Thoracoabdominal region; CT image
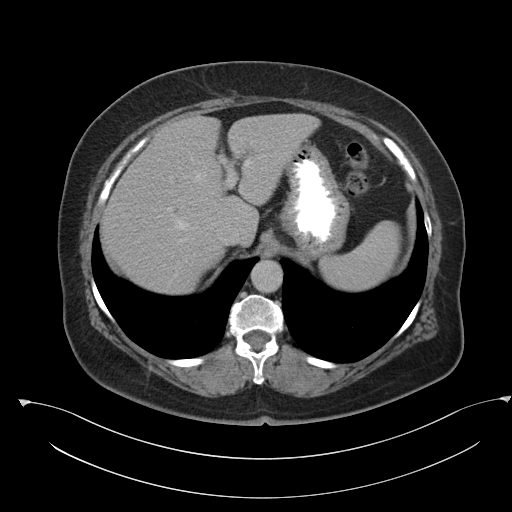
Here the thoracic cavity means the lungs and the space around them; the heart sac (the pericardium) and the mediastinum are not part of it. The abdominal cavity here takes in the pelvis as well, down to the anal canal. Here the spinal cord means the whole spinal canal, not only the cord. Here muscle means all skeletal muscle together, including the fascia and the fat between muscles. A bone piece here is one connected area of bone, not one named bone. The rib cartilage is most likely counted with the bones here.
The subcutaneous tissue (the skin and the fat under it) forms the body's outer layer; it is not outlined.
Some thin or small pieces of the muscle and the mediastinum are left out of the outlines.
Outlined structures:
bones 1: (249, 294) (259, 294) (279, 302) (284, 320) (283, 330) (276, 335) (278, 349) (263, 363) (262, 374) (264, 380) (261, 384) (256, 384) (253, 381) (254, 368) (251, 361) (235, 352) (237, 342) (235, 337) (232, 335) (229, 337) (224, 336) (228, 328) (231, 306) (234, 302), around a hole outlined by (253, 330) (261, 330) (262, 331) (267, 333) (267, 334) (268, 335) (268, 340) (263, 345) (263, 347) (262, 348) (262, 349) (261, 349) (258, 351) (253, 350) (252, 349) (252, 347) (251, 346) (251, 345) (248, 342) (247, 342) (245, 339) (245, 335) (247, 333) (248, 333)
bones 2: (145, 136) (148, 137) (147, 141) (143, 146) (130, 158) (123, 169) (120, 172) (119, 175) (116, 178) (115, 181) (111, 186) (107, 198) (105, 200) (105, 202) (103, 205) (101, 206) (98, 205) (97, 203) (98, 196) (104, 186) (104, 182) (105, 180) (111, 175) (127, 151)
bones 3: (384, 136) (386, 136) (392, 139) (400, 147) (400, 148) (403, 151) (405, 156) (408, 159) (410, 164) (412, 166) (415, 172) (415, 174) (416, 175) (416, 181) (413, 182) (410, 179) (405, 168) (400, 163) (398, 159) (384, 144) (384, 143) (382, 141) (382, 137)
bones 4: (92, 277) (93, 277) (93, 279) (95, 282) (95, 284) (97, 287) (97, 289) (106, 307) (110, 312) (111, 315) (114, 318) (116, 323) (112, 322) (107, 317) (107, 316) (101, 310) (101, 309) (99, 307) (95, 299) (95, 297) (93, 294) (93, 292) (91, 288) (90, 280)
bones 5: (200, 356) (202, 356) (204, 358) (204, 361) (201, 364) (199, 365) (197, 365) (196, 366) (190, 366) (189, 367) (181, 367) (180, 366) (176, 366) (175, 365) (172, 365) (168, 363) (166, 360) (167, 359) (184, 359) (185, 358) (194, 358) (195, 357) (199, 357)
bones 6: (419, 299) (421, 300) (421, 303) (420, 304) (420, 306) (418, 309) (418, 311) (414, 319) (412, 321) (410, 325) (399, 336) (398, 336) (396, 338) (392, 339) (391, 338) (392, 336) (399, 329) (399, 328) (405, 321) (405, 320) (407, 318) (407, 317) (411, 312) (412, 309)
bones 7: (307, 355) (310, 355) (316, 358) (319, 358) (320, 359) (322, 359) (326, 361) (330, 361) (331, 362) (336, 363) (337, 364) (337, 366) (334, 368) (323, 368) (322, 367) (319, 367) (318, 366) (316, 366) (315, 365) (310, 364) (308, 363) (305, 359) (305, 357)
bones 8: (424, 211) (426, 211) (428, 213) (428, 214) (429, 215) (429, 217) (430, 218) (430, 220) (431, 221) (431, 235) (430, 236) (430, 237) (429, 237) (428, 238) (428, 236) (427, 235) (427, 232) (426, 231) (426, 228) (425, 227) (425, 224) (424, 223)
mediastinum: (267, 247) (276, 248) (284, 257) (282, 257) (280, 259) (280, 264) (283, 270) (283, 280) (282, 281) (280, 303) (277, 300) (273, 300) (271, 298) (259, 293) (249, 293) (239, 300) (234, 301) (252, 267) (258, 261) (259, 258) (257, 256) (259, 255) (260, 251)
thoracic cavity 1: (417, 198) (423, 211) (428, 239) (426, 275) (419, 298) (398, 329) (377, 349) (351, 362) (334, 362) (316, 357) (296, 345) (285, 325) (281, 306) (284, 280) (281, 259) (284, 258) (303, 269) (312, 278) (336, 292) (359, 294) (373, 290) (399, 276) (408, 266) (416, 242)
thoracic cavity 2: (96, 227) (101, 254) (109, 270) (116, 277) (142, 290) (163, 296) (201, 295) (212, 287) (222, 272) (232, 262) (257, 257) (257, 261) (251, 267) (230, 306) (227, 326) (219, 344) (203, 355) (166, 358) (146, 350) (132, 340) (120, 327) (107, 307) (93, 276) (91, 251)
torso: (231, 60) (283, 61) (337, 70) (394, 96) (421, 121) (452, 172) (465, 218) (460, 286) (464, 347) (447, 376) (356, 414) (310, 423) (250, 426) (191, 419) (148, 407) (98, 384) (79, 365) (63, 327) (56, 245) (58, 210) (71, 154) (88, 125) (137, 84) (170, 70)
abdominal cavity: (266, 102) (284, 102) (340, 116) (377, 135) (404, 168) (417, 197) (415, 242) (405, 269) (373, 289) (346, 293) (326, 286) (276, 247) (267, 246) (256, 256) (232, 261) (201, 294) (158, 294) (116, 276) (102, 254) (96, 225) (102, 206) (133, 158) (159, 130) (174, 122)
muscle 1: (232, 95) (289, 97) (290, 98) (309, 99) (330, 103) (338, 107) (342, 107) (356, 113) (365, 115) (378, 121) (396, 133) (406, 142) (424, 168) (441, 217) (442, 225) (441, 265) (434, 284) (434, 300) (436, 318) (438, 324) (438, 331) (433, 337) (415, 343) (389, 361) (358, 380) (335, 391) (323, 395) (308, 398) (296, 397) (293, 395) (278, 392) (270, 387) (263, 385) (254, 385) (237, 393) (227, 396) (219, 396) (212, 398) (202, 396) (182, 389) (167, 381) (161, 376) (149, 371) (132, 357) (115, 346) (90, 324) (89, 314) (86, 308) (79, 262) (78, 231) (83, 212) (84, 203) (87, 198) (90, 186) (94, 180) (100, 166) (109, 154) (129, 134) (144, 123) (158, 115) (178, 107) (196, 103) (203, 100) (221, 98) with a hole at (266, 102) (340, 116) (364, 125) (381, 141) (384, 136) (392, 139) (415, 172) (416, 181) (409, 181) (429, 215) (431, 235) (421, 303) (399, 336) (361, 359) (323, 368) (306, 361) (308, 354) (296, 345) (285, 325) (276, 335) (277, 351) (263, 363) (264, 380) (256, 384) (253, 365) (235, 352) (232, 335) (204, 354) (201, 364) (189, 367) (172, 365) (132, 340) (95, 299) (91, 251) (102, 209) (98, 196) (130, 148) (145, 136) (148, 142) (174, 122)
muscle 2: (136, 153) (137, 153) (132, 158) (132, 159) (129, 162) (129, 163) (126, 166) (126, 167) (124, 169) (124, 168) (126, 166) (126, 165) (128, 163) (128, 162) (131, 159) (131, 158)
spinal cord: (253, 330) (261, 330) (262, 331) (267, 333) (267, 334) (268, 335) (268, 340) (263, 345) (263, 347) (262, 348) (262, 349) (261, 349) (258, 351) (253, 350) (252, 349) (252, 347) (251, 346) (251, 345) (248, 342) (247, 342) (245, 339) (245, 335) (247, 333) (248, 333)